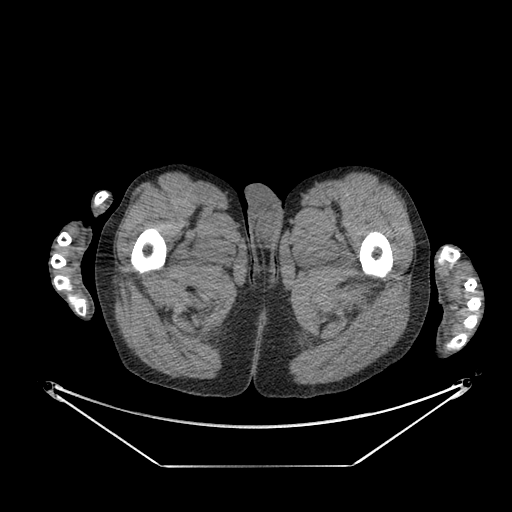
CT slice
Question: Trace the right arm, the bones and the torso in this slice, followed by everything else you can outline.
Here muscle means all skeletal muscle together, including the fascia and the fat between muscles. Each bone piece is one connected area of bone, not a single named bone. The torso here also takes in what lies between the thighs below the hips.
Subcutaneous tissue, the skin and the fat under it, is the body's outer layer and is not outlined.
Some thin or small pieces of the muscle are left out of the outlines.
Answer: The right arm appears in 2 outlined pieces: piece 1: 77,219 80,219 86,224 89,224 92,229 91,242 85,251 81,261 82,279 94,303 93,317 89,321 80,319 73,313 68,304 56,293 51,284 47,267 49,250 52,240 58,235 60,229 64,224 71,220; piece 2: 102,188 107,188 109,189 112,192 113,194 113,196 114,197 114,199 112,203 110,205 110,206 102,214 101,214 99,216 95,218 93,216 90,210 90,200 91,199 91,196 92,194 96,190 98,190. The bones appear in 10 outlined pieces: piece 1: 370,231 379,231 381,232 387,238 391,247 392,256 393,257 393,264 391,269 385,275 385,276 382,278 377,277 373,275 368,275 366,274 363,271 361,266 361,263 359,260 359,249 360,248 361,242 364,237; piece 2: 151,227 156,228 161,234 165,241 165,243 166,244 166,257 165,258 165,262 159,269 149,270 148,271 140,273 137,271 132,265 130,261 130,255 131,254 134,243 137,237 140,234 140,233 146,228 150,228; piece 3: 56,275 67,276 69,278 72,286 72,288 69,292 74,294 79,299 81,299 83,297 86,299 86,313 84,316 79,315 75,311 74,308 68,303 67,295 69,292 65,289 58,290 55,287 53,283 53,278; piece 4: 472,296 477,296 478,297 480,297 481,298 481,305 479,307 477,311 479,315 477,323 473,328 471,329 467,329 464,327 463,325 463,321 464,319 468,315 470,314 470,311 467,308 467,301; piece 5: 461,332 466,332 469,335 468,336 467,341 465,343 465,344 462,347 461,347 459,349 457,349 456,350 449,350 448,349 447,349 445,346 446,343 448,341 449,341 454,336 455,336 457,334 458,334; piece 6: 446,245 447,245 448,246 451,246 452,247 457,249 459,251 459,252 460,253 460,256 455,262 453,262 452,263 451,262 449,262 446,260 444,260 439,255 439,254 440,253 442,248 444,246 445,246; piece 7: 54,253 58,253 59,254 60,254 66,260 66,264 64,266 63,266 62,267 61,267 60,268 54,268 51,265 51,264 50,263 50,259 51,258 51,257 52,256 52,255; piece 8: 102,190 106,190 109,193 109,196 107,198 106,198 105,199 105,200 100,205 99,205 98,206 93,206 93,200 94,199 94,198 95,197 95,196 96,195 96,194 98,192 99,192 100,191 101,191; piece 9: 63,231 65,231 66,232 67,232 69,234 69,235 71,237 71,242 68,245 66,245 65,246 62,246 61,245 60,245 57,242 57,237 58,236 58,235 61,232 62,232; piece 10: 468,277 473,277 474,278 475,278 475,279 477,282 477,285 475,288 475,290 474,291 474,292 470,292 469,291 466,291 465,290 465,287 464,286 464,283 466,281 466,280. The torso is outlined by 253,182 261,182 266,184 281,199 283,199 286,196 285,210 281,220 281,227 279,235 277,268 271,289 263,297 255,282 255,278 254,277 253,255 250,245 247,224 246,223 247,202 243,192 244,187 247,184. The left arm is outlined by 448,242 457,245 471,258 473,265 479,274 484,289 485,309 481,323 471,339 456,353 446,358 438,358 434,355 432,351 432,347 434,344 437,327 441,320 443,311 442,307 438,302 433,261 435,252 438,247. The muscle appears in 4 outlined pieces: piece 1: 350,171 363,171 376,175 392,186 405,201 417,250 411,271 410,319 402,337 396,344 366,367 338,381 297,384 290,379 287,365 290,359 301,350 302,334 284,290 280,269 280,240 302,193 306,192 315,182; inner edge: 370,231 379,231 381,232 387,238 391,247 392,256 393,257 393,264 391,269 385,275 385,276 382,278 377,277 373,275 368,275 366,274 363,271 361,266 361,263 359,260 359,249 360,248 361,242 364,237; piece 2: 168,171 187,172 202,177 225,192 245,238 246,262 244,280 217,335 217,346 221,354 222,367 215,378 171,377 150,367 128,348 118,331 114,318 112,276 115,266 115,258 113,256 115,232 134,189 148,178; inner edge: 151,227 156,228 161,234 165,241 165,243 166,244 166,257 165,258 165,262 159,269 149,270 148,271 140,273 137,271 132,265 130,261 130,255 131,254 134,243 137,237 140,234 140,233 146,228 150,228; piece 3: 439,256 444,261 452,264 460,257 467,261 475,277 468,276 466,278 463,283 464,290 466,292 474,293 478,285 481,294 481,297 472,295 466,301 466,308 469,311 469,314 463,319 462,325 467,330 473,329 470,334 466,331 461,331 448,340 444,346 450,351 446,353 443,353 440,350 440,347 448,325 449,302 444,292 444,282 440,277 438,265; piece 4: 72,224 76,224 85,231 84,243 76,259 76,274 80,289 85,296 81,298 70,292 73,286 67,275 54,275 53,273 53,268 60,269 67,264 67,260 54,250 56,243 65,247 72,242 72,237 65,230. The right leg is outlined by 170,163 191,164 227,181 238,194 245,218 252,255 253,277 263,299 264,315 252,383 244,392 230,398 201,397 182,393 147,383 127,370 118,357 97,297 94,261 104,223 118,206 126,188 136,176 148,169. The left leg is outlined by 354,164 375,167 391,174 406,188 418,210 430,243 430,300 424,323 411,348 400,360 354,388 310,399 264,398 255,390 253,376 265,315 263,298 272,289 278,268 280,235 286,210 287,194 306,177 332,167.